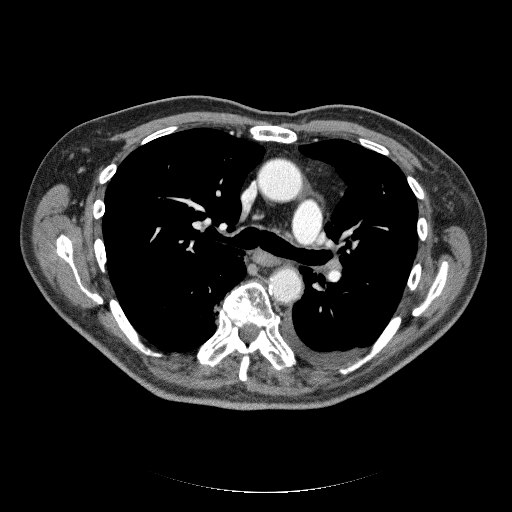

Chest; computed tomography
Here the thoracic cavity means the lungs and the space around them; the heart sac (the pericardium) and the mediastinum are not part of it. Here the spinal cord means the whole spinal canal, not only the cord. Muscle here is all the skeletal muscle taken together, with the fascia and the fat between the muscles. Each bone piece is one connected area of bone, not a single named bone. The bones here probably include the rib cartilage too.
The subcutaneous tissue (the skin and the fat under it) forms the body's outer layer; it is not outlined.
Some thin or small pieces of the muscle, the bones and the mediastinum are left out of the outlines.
Outlined structures:
torso: [[183,95],[215,96],[278,112],[326,104],[361,106],[403,122],[442,149],[471,182],[487,228],[483,270],[457,321],[381,383],[323,408],[234,410],[176,402],[152,394],[130,378],[64,321],[37,288],[20,251],[21,214],[40,162],[70,129],[131,106]]
bones 1: [[249,280],[256,280],[267,290],[272,309],[280,317],[279,333],[295,354],[297,362],[278,370],[257,350],[250,356],[247,378],[242,381],[238,376],[242,355],[238,351],[226,355],[213,366],[201,364],[196,358],[196,352],[215,332],[224,297],[241,282]]; inner edge: [[246,324],[253,324],[254,325],[255,325],[258,328],[259,328],[259,331],[258,332],[258,334],[256,336],[256,337],[253,340],[252,340],[248,343],[246,343],[244,341],[243,341],[240,338],[240,337],[239,336],[239,330],[244,325],[245,325]]
bones 2: [[111,297],[115,298],[117,300],[127,319],[135,330],[139,334],[141,340],[147,346],[149,346],[154,350],[162,352],[163,354],[162,356],[157,357],[156,356],[147,355],[143,353],[129,340],[129,339],[119,327],[109,308],[108,301]]
bones 3: [[399,314],[401,315],[402,320],[398,329],[392,336],[390,340],[374,356],[356,369],[346,374],[342,374],[338,372],[338,369],[339,368],[346,367],[348,365],[354,362],[358,358],[360,358],[365,355],[369,351],[370,347],[388,324],[391,318],[393,316]]
bones 4: [[264,124],[276,124],[277,125],[280,125],[282,127],[290,129],[296,133],[297,135],[297,139],[291,143],[284,143],[283,142],[278,142],[277,141],[260,141],[259,140],[254,140],[251,137],[250,134],[248,132],[248,129],[250,127],[255,125],[263,125]]
bones 5: [[60,234],[63,234],[67,236],[71,240],[72,248],[73,249],[73,262],[79,275],[81,283],[89,291],[93,293],[97,293],[103,299],[103,303],[100,304],[97,303],[81,290],[76,281],[72,268],[63,258],[60,257],[57,254],[56,252],[56,239]]
bones 6: [[444,260],[445,260],[448,264],[448,269],[447,270],[447,276],[446,277],[445,284],[440,294],[435,297],[431,301],[429,305],[420,315],[418,316],[414,316],[412,315],[412,311],[413,309],[417,307],[425,299],[427,293],[436,277],[439,267],[441,263]]
bones 7: [[97,237],[102,238],[103,244],[104,245],[104,249],[105,250],[105,256],[106,257],[105,267],[106,268],[106,272],[104,273],[101,271],[98,265],[98,263],[96,259],[96,256],[95,255],[95,252],[94,251],[94,246],[93,245],[94,244],[94,240]]
bones 8: [[416,263],[420,263],[421,264],[421,274],[420,275],[420,278],[417,283],[417,285],[416,287],[414,289],[414,290],[412,291],[410,291],[407,288],[406,285],[407,284],[407,281],[408,280],[408,278],[409,277],[409,275],[410,274],[411,269],[413,265]]
bones 9: [[173,125],[176,125],[178,127],[177,130],[171,133],[169,133],[168,134],[163,135],[160,137],[155,138],[142,145],[140,145],[140,142],[145,137],[146,137],[148,135],[151,134],[153,132],[159,129],[161,129],[162,128],[164,128],[168,126],[172,126]]
bones 10: [[359,137],[361,137],[362,138],[365,138],[366,139],[369,139],[374,142],[376,142],[377,143],[384,146],[389,151],[389,156],[384,155],[381,153],[379,153],[374,150],[372,150],[367,147],[365,147],[364,146],[363,146],[358,142],[358,138]]
bones 11: [[111,162],[114,162],[116,163],[117,165],[117,167],[116,168],[116,170],[115,172],[113,174],[111,178],[107,182],[105,183],[103,183],[102,184],[99,183],[99,175],[101,171],[108,164],[109,164]]
bones 12: [[407,175],[411,175],[412,176],[413,176],[419,183],[419,184],[421,186],[421,187],[423,190],[423,194],[424,195],[424,197],[423,198],[423,199],[418,199],[415,196],[414,193],[412,191],[412,190],[407,181],[407,179],[406,178],[406,176]]
bones 13: [[421,216],[422,216],[425,218],[425,219],[426,220],[426,222],[427,223],[427,234],[426,235],[426,237],[425,238],[425,239],[424,240],[424,241],[421,241],[419,239],[419,238],[418,237],[418,234],[417,233],[417,221],[418,220],[418,218]]
muscle 1: [[314,119],[354,122],[411,151],[421,164],[414,174],[429,196],[438,244],[443,243],[447,227],[458,225],[466,231],[472,251],[465,283],[448,310],[421,336],[355,381],[312,395],[271,396],[248,392],[239,385],[204,390],[156,380],[120,342],[62,297],[42,272],[31,241],[39,200],[50,187],[64,183],[70,189],[67,212],[77,218],[97,170],[106,165],[98,175],[99,184],[107,183],[104,197],[92,204],[93,218],[101,219],[102,231],[102,237],[93,240],[93,251],[115,293],[107,301],[108,308],[143,354],[157,358],[164,354],[141,337],[164,352],[196,350],[197,361],[211,367],[236,351],[241,355],[237,376],[242,382],[248,378],[251,356],[257,351],[278,371],[295,366],[298,360],[338,368],[342,375],[356,370],[399,329],[403,318],[394,313],[405,288],[414,291],[421,278],[422,264],[414,260],[418,241],[424,242],[428,234],[427,220],[418,215],[417,205],[417,199],[425,195],[416,178],[405,175],[389,157],[390,151],[376,141],[361,136],[357,142],[320,135],[298,138],[294,130],[277,124]] with holes at [[60,234],[63,234],[67,236],[71,240],[72,248],[73,249],[73,262],[79,275],[81,283],[89,291],[93,293],[97,293],[103,299],[103,303],[100,304],[97,303],[81,290],[76,281],[72,268],[63,258],[60,257],[57,254],[56,252],[56,239]] and at [[444,260],[445,260],[448,264],[448,269],[447,270],[447,276],[446,277],[445,284],[440,294],[435,297],[431,301],[429,305],[420,315],[418,316],[414,316],[412,315],[412,311],[413,309],[417,307],[425,299],[427,293],[436,277],[439,267],[441,263]]
muscle 2: [[190,111],[225,112],[268,121],[272,123],[250,126],[247,129],[250,137],[230,129],[214,127],[193,127],[178,130],[179,127],[173,124],[159,128],[145,136],[139,145],[118,165],[114,161],[108,163],[124,144],[123,140],[110,139],[115,134],[154,119]]
muscle 3: [[366,348],[369,348],[369,349],[368,351],[365,354],[364,354],[360,357],[358,357],[354,361],[348,364],[346,366],[344,366],[345,366],[347,364],[351,362],[352,360],[353,360],[354,358],[355,358],[356,356],[357,356],[360,352],[361,352],[364,349]]
spinal cord: [[246,324],[253,324],[254,325],[255,325],[258,328],[259,328],[259,331],[258,332],[258,334],[256,336],[256,337],[253,340],[252,340],[248,343],[246,343],[244,341],[243,341],[240,338],[240,337],[239,336],[239,330],[244,325],[245,325]]
mediastinum: [[317,136],[325,138],[301,144],[299,151],[332,166],[346,187],[324,226],[324,247],[309,266],[299,270],[304,283],[301,297],[280,316],[259,281],[243,281],[247,273],[245,254],[234,245],[241,214],[240,191],[248,173],[265,153],[256,141],[291,144]]
thoracic cavity 1: [[193,128],[233,131],[255,141],[264,148],[264,153],[247,173],[239,191],[240,214],[233,245],[244,254],[246,273],[242,281],[223,297],[216,328],[204,342],[196,349],[164,351],[140,335],[116,297],[106,267],[104,198],[108,182],[132,151],[176,131]]
thoracic cavity 2: [[326,138],[349,140],[388,157],[405,176],[416,198],[418,216],[413,264],[393,315],[372,344],[341,367],[321,367],[298,359],[279,329],[281,317],[291,311],[304,293],[300,270],[309,267],[325,247],[328,241],[325,226],[347,187],[332,165],[299,149]]